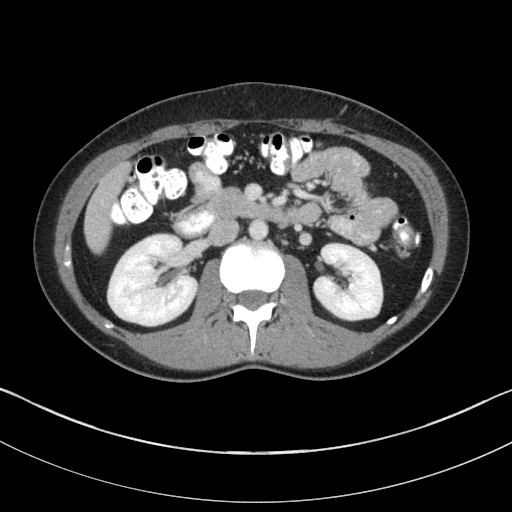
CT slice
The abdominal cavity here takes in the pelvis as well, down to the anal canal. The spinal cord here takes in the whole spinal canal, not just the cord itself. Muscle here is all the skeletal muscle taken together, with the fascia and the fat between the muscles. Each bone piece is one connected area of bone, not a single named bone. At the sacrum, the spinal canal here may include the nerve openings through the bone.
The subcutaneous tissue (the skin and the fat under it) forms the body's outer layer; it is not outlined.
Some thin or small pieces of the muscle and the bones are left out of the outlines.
The muscle is outlined by [[188,371],[209,370],[244,361],[256,360],[301,369],[333,367],[354,360],[409,323],[424,307],[432,293],[436,278],[443,269],[449,238],[446,198],[436,175],[428,163],[415,151],[393,141],[363,133],[329,119],[313,118],[212,118],[182,124],[173,124],[156,129],[139,139],[112,147],[92,159],[82,169],[69,187],[59,210],[55,229],[54,256],[60,279],[82,313],[102,332],[125,344],[137,354],[154,363],[172,369]] with a hole at [[252,355],[259,323],[278,312],[273,310],[285,273],[284,253],[304,265],[314,312],[352,329],[393,323],[417,290],[418,296],[427,289],[433,269],[428,264],[432,240],[425,207],[411,179],[391,160],[343,136],[250,123],[152,144],[99,178],[80,213],[72,244],[66,243],[63,264],[73,262],[82,293],[111,321],[105,327],[116,324],[145,332],[186,320],[203,266],[219,257],[220,280],[232,294],[231,317],[248,326]]. The torso is outlined by [[171,382],[203,381],[245,369],[308,380],[339,379],[382,364],[416,340],[451,303],[469,253],[466,200],[442,157],[403,123],[363,102],[323,89],[264,81],[164,98],[88,141],[56,173],[41,200],[32,240],[39,285],[57,315],[93,350],[129,371]]. The spinal cord is outlined by [[251,310],[256,309],[259,306],[260,306],[262,304],[265,303],[268,300],[268,296],[266,293],[265,293],[262,291],[260,291],[259,290],[246,290],[245,291],[243,291],[242,292],[241,292],[237,296],[237,302],[238,303],[245,306],[247,308],[248,308]]. The abdominal cavity is outlined by [[136,332],[186,320],[205,263],[241,239],[269,241],[283,254],[298,257],[307,273],[314,312],[352,329],[370,330],[407,307],[428,264],[432,240],[421,196],[391,160],[339,135],[250,123],[147,146],[99,178],[72,235],[72,261],[82,293],[113,323]]. The bones appear in 2 outlined pieces: piece 1: [[252,355],[259,323],[269,320],[278,312],[277,309],[273,311],[278,304],[275,292],[284,277],[285,268],[283,255],[272,243],[260,244],[241,240],[229,245],[223,251],[219,264],[219,277],[222,284],[232,294],[229,306],[232,319],[243,321],[248,326]], around a hole outlined by [[251,310],[256,309],[259,306],[260,306],[262,304],[265,303],[268,300],[268,296],[266,293],[265,293],[262,291],[260,291],[259,290],[246,290],[245,291],[243,291],[242,292],[241,292],[237,296],[237,302],[238,303],[245,306],[247,308],[248,308]]; piece 2: [[417,296],[423,293],[427,289],[427,288],[429,286],[431,282],[431,280],[433,276],[433,269],[430,265],[429,265],[426,268],[424,272],[424,274],[423,275],[423,277],[422,278],[422,280],[420,284],[420,288],[419,289],[419,292]].